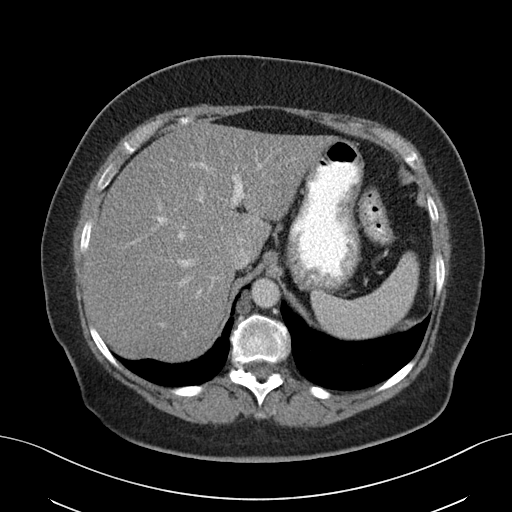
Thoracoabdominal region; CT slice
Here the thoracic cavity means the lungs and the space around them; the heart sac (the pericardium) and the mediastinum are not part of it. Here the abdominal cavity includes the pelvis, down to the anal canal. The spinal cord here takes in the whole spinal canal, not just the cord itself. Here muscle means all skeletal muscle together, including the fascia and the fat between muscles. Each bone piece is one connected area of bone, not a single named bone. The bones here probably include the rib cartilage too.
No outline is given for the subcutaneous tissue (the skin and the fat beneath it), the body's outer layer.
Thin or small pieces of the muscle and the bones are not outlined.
{"mediastinum":[[[269,267],[272,267],[276,273],[276,279],[279,284],[279,287],[281,288],[281,293],[283,296],[283,300],[280,304],[280,314],[282,321],[255,312],[245,317],[240,317],[233,327],[233,316],[235,313],[236,303],[241,295],[240,290],[253,277]]],"thoracic_cavity":[[[284,300],[289,308],[310,328],[316,332],[345,342],[371,340],[405,332],[419,324],[428,314],[430,314],[430,317],[421,343],[413,357],[388,378],[382,382],[361,389],[336,390],[328,389],[312,383],[296,368],[290,355],[291,336],[281,314],[281,304]],[[238,293],[240,295],[235,303],[232,316],[233,323],[228,338],[230,349],[227,360],[219,373],[201,384],[173,387],[154,383],[128,369],[112,353],[126,360],[152,359],[168,364],[179,364],[195,360],[205,354],[222,334],[224,326],[230,316],[232,304]]],"bones":[{"outer":[[255,313],[283,322],[290,336],[290,354],[286,359],[278,363],[275,367],[283,379],[283,382],[266,394],[260,407],[254,394],[248,388],[233,382],[228,375],[229,370],[233,366],[230,361],[231,343],[229,338],[231,331],[240,320],[240,318],[245,318]],"hole":[[257,360],[262,360],[263,361],[268,362],[272,365],[272,367],[273,368],[273,370],[272,372],[266,378],[266,379],[263,381],[261,381],[257,379],[257,378],[249,370],[247,369],[247,364],[248,363],[252,361],[256,361]]},[[372,127],[380,128],[383,130],[388,131],[403,141],[416,153],[418,160],[419,161],[419,163],[420,164],[420,167],[419,169],[417,170],[413,170],[404,161],[396,149],[378,137],[370,130]],[[156,119],[165,119],[166,120],[164,122],[164,123],[160,127],[159,127],[155,131],[154,131],[153,133],[146,137],[135,150],[135,151],[134,151],[131,154],[125,153],[122,149],[122,145],[123,144],[123,142],[124,141],[127,141],[143,126]],[[89,326],[93,326],[97,330],[99,335],[103,340],[104,343],[107,346],[108,349],[111,352],[113,356],[118,361],[121,367],[121,369],[119,369],[115,367],[103,355],[103,354],[99,350],[91,336],[91,334],[89,330]],[[412,359],[415,360],[415,363],[414,365],[412,367],[410,371],[401,380],[400,380],[394,385],[386,389],[384,389],[383,390],[381,390],[377,392],[375,391],[375,390],[383,382],[384,382],[387,379],[388,379],[392,375],[393,375]],[[438,253],[440,253],[442,256],[442,258],[443,259],[443,262],[444,263],[444,268],[445,269],[445,273],[444,274],[443,285],[441,288],[441,290],[440,291],[440,293],[439,295],[437,296],[435,293],[435,289],[436,288],[436,279],[435,278],[435,257]],[[192,385],[202,385],[202,386],[203,387],[203,389],[202,390],[202,391],[199,394],[198,394],[197,395],[193,395],[192,396],[181,396],[180,395],[177,395],[176,394],[174,394],[170,391],[170,390],[174,387],[179,387],[180,386],[191,386]],[[111,162],[113,162],[114,163],[114,167],[116,170],[116,173],[115,175],[113,176],[112,179],[105,187],[105,188],[104,188],[102,190],[98,190],[96,187],[97,186],[97,182],[100,178],[104,170]],[[89,219],[91,219],[92,220],[92,226],[91,227],[91,231],[90,232],[90,237],[89,238],[89,243],[88,244],[88,247],[87,248],[87,250],[83,253],[81,252],[80,250],[80,240],[81,239],[81,233],[82,232],[82,229],[85,222]],[[427,194],[429,194],[432,197],[436,205],[436,207],[437,208],[437,211],[438,212],[438,220],[437,222],[434,222],[432,221],[430,218],[430,216],[429,215],[429,212],[428,211],[428,208],[427,207],[427,202],[426,201],[426,196]],[[311,385],[316,385],[317,386],[319,386],[320,387],[322,387],[325,389],[327,389],[328,390],[329,390],[329,391],[331,393],[331,396],[328,398],[325,398],[324,399],[323,398],[318,398],[317,397],[315,397],[313,395],[312,395],[309,391],[309,387]]],"torso":[[[220,54],[319,62],[376,78],[421,105],[458,151],[481,218],[484,273],[474,330],[455,370],[451,395],[443,411],[423,427],[372,446],[313,459],[213,461],[130,442],[108,429],[84,405],[45,308],[40,244],[52,196],[88,126],[118,93],[166,66]]],"abdominal_cavity":[[[254,109],[281,110],[367,139],[395,152],[413,171],[426,202],[434,250],[429,313],[405,331],[340,340],[316,331],[290,308],[277,273],[269,266],[241,287],[221,334],[199,357],[168,363],[119,356],[96,328],[86,288],[87,251],[106,187],[152,136]]],"spinal_cord":[[[257,360],[262,360],[263,361],[268,362],[272,365],[272,367],[273,368],[273,370],[272,372],[266,378],[266,379],[263,381],[261,381],[257,379],[257,378],[249,370],[247,369],[247,364],[248,363],[252,361],[256,361]]],"muscle":[{"outer":[[201,103],[211,105],[270,104],[354,115],[358,117],[377,121],[387,127],[391,128],[409,140],[419,151],[424,160],[424,164],[427,172],[439,192],[439,196],[447,213],[447,221],[450,233],[449,240],[451,244],[451,255],[449,261],[450,262],[450,273],[448,279],[448,284],[446,288],[447,289],[446,298],[440,318],[440,324],[437,332],[433,352],[430,355],[427,364],[421,370],[415,379],[395,396],[378,405],[363,410],[345,419],[322,427],[304,429],[299,427],[282,426],[271,421],[270,422],[267,420],[256,420],[255,419],[252,420],[246,419],[241,422],[235,421],[229,424],[218,425],[215,427],[211,424],[192,423],[155,407],[147,402],[131,388],[114,378],[108,373],[96,359],[83,335],[82,327],[80,323],[79,312],[77,307],[77,300],[74,290],[75,284],[72,260],[73,231],[77,224],[77,220],[79,217],[79,210],[81,207],[82,200],[86,189],[100,165],[105,160],[108,154],[116,145],[120,138],[126,133],[146,119],[156,114],[175,108],[184,106],[192,106]],"holes":[[[254,109],[301,116],[398,156],[370,130],[380,128],[417,155],[413,173],[423,199],[429,194],[437,208],[430,231],[445,273],[414,365],[386,389],[375,391],[380,382],[315,397],[289,355],[275,367],[283,382],[260,407],[230,379],[229,353],[199,394],[181,396],[120,362],[115,367],[91,336],[81,233],[106,193],[96,187],[102,173],[111,162],[117,173],[130,156],[123,142],[156,119],[166,120],[140,147],[177,127]],[[182,116],[187,116],[188,117],[189,117],[189,119],[188,120],[188,121],[186,123],[184,123],[183,124],[182,124],[181,123],[178,123],[178,122],[177,121],[177,119],[178,118],[179,118],[180,117],[181,117]],[[257,412],[262,412],[265,415],[265,417],[264,418],[262,418],[261,417],[259,417],[258,418],[255,418],[255,417],[254,416],[254,415]]]}]}